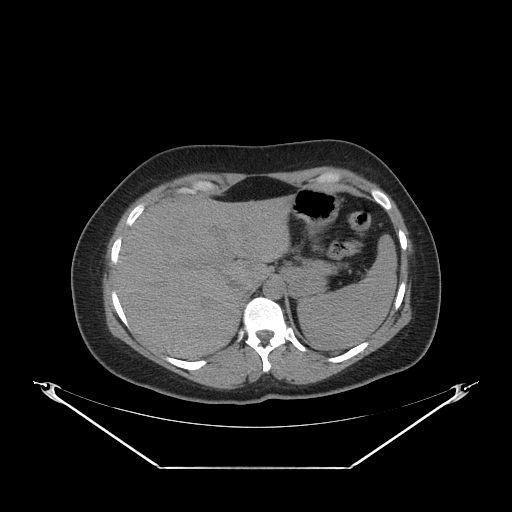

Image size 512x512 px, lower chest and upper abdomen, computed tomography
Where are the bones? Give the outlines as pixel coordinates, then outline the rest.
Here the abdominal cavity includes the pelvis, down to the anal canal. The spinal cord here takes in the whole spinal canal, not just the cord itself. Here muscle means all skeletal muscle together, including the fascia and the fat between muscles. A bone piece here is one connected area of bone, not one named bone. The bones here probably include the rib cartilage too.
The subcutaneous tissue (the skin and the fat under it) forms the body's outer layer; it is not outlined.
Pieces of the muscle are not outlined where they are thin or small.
{"bones":[{"outer":[[259,296],[268,298],[280,306],[285,322],[307,348],[306,351],[301,351],[288,340],[283,345],[283,349],[282,345],[275,347],[267,356],[271,366],[266,372],[263,371],[261,357],[246,344],[245,338],[236,341],[238,330],[243,325],[243,312],[246,304]],"hole":[[260,330],[268,330],[269,331],[271,331],[272,332],[272,336],[268,340],[268,342],[267,343],[265,343],[264,344],[263,344],[261,342],[261,340],[257,336],[257,332],[258,331],[259,331]]},[[197,180],[205,180],[206,181],[210,181],[214,184],[215,184],[217,186],[217,187],[213,191],[211,192],[206,192],[205,191],[201,191],[199,190],[195,193],[176,193],[175,191],[176,189],[182,186],[190,186],[192,182],[194,181],[196,181]],[[165,356],[169,356],[173,358],[176,358],[180,360],[185,360],[186,361],[197,361],[198,360],[204,359],[206,360],[206,363],[203,366],[198,369],[188,370],[187,369],[185,369],[184,368],[176,366],[170,363],[168,361],[165,360],[164,359],[164,357]],[[365,341],[368,341],[368,345],[362,351],[359,352],[357,354],[345,360],[343,360],[339,362],[330,362],[327,360],[327,358],[328,357],[332,357],[333,356],[336,356],[337,355],[339,355],[347,351],[349,349]],[[327,171],[338,171],[341,174],[341,178],[340,179],[340,180],[337,183],[315,183],[313,181],[311,181],[313,179],[314,179],[316,177],[317,177],[319,175],[320,175],[322,173],[323,173],[324,172],[326,172]],[[113,290],[115,290],[116,291],[117,297],[119,300],[119,302],[123,309],[123,311],[127,319],[127,321],[129,323],[132,330],[130,330],[127,328],[127,327],[120,319],[119,316],[117,314],[114,308],[114,306],[112,302],[112,298],[111,297],[111,292]],[[372,188],[377,188],[378,189],[381,190],[388,197],[388,198],[390,201],[390,203],[391,204],[391,208],[389,210],[386,210],[383,207],[382,207],[382,206],[381,205],[380,205],[380,203],[375,198],[374,198],[371,195],[371,194],[370,193],[370,190]],[[140,203],[144,203],[144,204],[145,205],[143,211],[136,218],[136,219],[133,222],[133,223],[130,226],[128,226],[126,224],[126,220],[127,219],[127,217],[128,216],[129,213],[132,210],[132,209],[135,206],[136,206],[138,204],[139,204]],[[119,236],[120,236],[122,238],[122,239],[121,240],[121,245],[120,246],[120,249],[119,250],[119,253],[118,254],[118,257],[117,258],[117,262],[115,264],[114,264],[111,262],[111,248],[112,247],[112,245],[113,244],[113,243],[114,242],[114,241]],[[401,281],[404,281],[405,282],[405,291],[403,295],[403,298],[402,299],[402,301],[398,309],[395,310],[393,307],[394,305],[394,301],[396,297],[396,294],[398,290],[398,287],[399,286],[399,284]],[[399,229],[401,229],[403,231],[403,232],[405,234],[405,236],[406,237],[406,239],[407,240],[407,246],[406,247],[406,249],[405,249],[404,250],[402,250],[401,249],[401,248],[400,247],[400,243],[399,242],[399,239],[398,238],[398,230]]],"abdominal_cavity":[[[258,176],[294,184],[346,184],[379,203],[400,248],[399,283],[389,314],[366,340],[347,350],[316,351],[286,322],[284,286],[273,275],[253,291],[242,325],[223,349],[197,360],[164,355],[138,335],[118,297],[122,240],[144,210],[163,198],[220,194]]],"spinal_cord":[[[260,330],[268,330],[269,331],[271,331],[272,332],[272,336],[268,340],[268,342],[267,343],[265,343],[264,344],[263,344],[261,342],[261,340],[257,336],[257,332],[258,331],[259,331]]],"mediastinum":[[[273,276],[276,276],[278,278],[279,278],[279,279],[281,281],[281,284],[283,286],[283,307],[282,308],[276,301],[265,296],[259,295],[258,296],[253,297],[251,299],[250,299],[252,294],[254,293],[254,291],[259,287],[261,283],[266,278],[269,278]]],"torso":[[[323,138],[351,141],[377,155],[401,181],[430,228],[439,258],[441,303],[436,331],[425,354],[404,371],[345,392],[309,399],[268,399],[247,405],[172,398],[129,383],[104,368],[80,335],[70,269],[85,224],[122,179],[153,154],[179,145],[265,145]]],"muscle":[{"outer":[[324,165],[332,165],[333,166],[347,168],[352,171],[361,174],[367,179],[378,184],[395,202],[401,213],[401,215],[404,220],[404,223],[409,232],[409,237],[412,242],[414,250],[413,253],[414,256],[413,263],[411,264],[411,269],[410,270],[411,271],[410,272],[410,276],[412,283],[411,284],[411,293],[410,294],[410,306],[412,312],[411,319],[406,325],[386,343],[376,350],[346,367],[341,371],[327,378],[313,383],[309,383],[308,384],[290,384],[283,380],[278,380],[271,375],[268,376],[264,375],[256,381],[248,383],[245,386],[240,388],[217,389],[213,387],[209,387],[200,384],[167,369],[165,367],[145,357],[126,343],[113,336],[110,333],[105,322],[105,314],[104,313],[104,306],[103,305],[103,294],[102,293],[102,281],[101,280],[104,268],[104,260],[105,259],[104,256],[107,249],[107,243],[109,241],[109,239],[112,235],[114,228],[116,226],[119,219],[129,205],[138,197],[150,189],[165,181],[170,180],[184,174],[192,173],[193,172],[234,172],[235,173],[285,172],[286,171],[302,170]],"hole":[[327,171],[341,174],[338,184],[368,194],[372,188],[381,190],[390,201],[391,208],[386,212],[395,232],[401,229],[407,240],[406,249],[400,250],[399,281],[405,282],[402,301],[398,309],[391,308],[385,321],[367,338],[368,345],[362,351],[330,362],[327,358],[332,355],[309,347],[301,351],[288,340],[283,349],[281,345],[269,352],[271,366],[264,372],[259,354],[246,344],[244,337],[238,342],[235,337],[206,357],[203,366],[188,370],[165,360],[163,353],[120,319],[111,297],[116,289],[111,248],[119,236],[123,239],[126,235],[130,227],[126,220],[135,206],[144,203],[145,210],[197,180],[212,182],[217,187],[211,192],[220,194],[248,177],[314,184],[311,181]]}]}